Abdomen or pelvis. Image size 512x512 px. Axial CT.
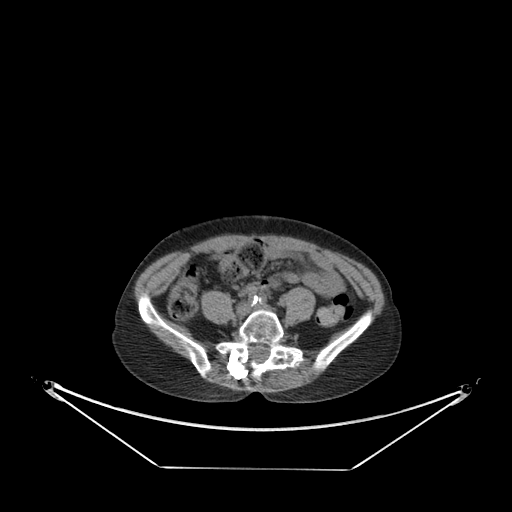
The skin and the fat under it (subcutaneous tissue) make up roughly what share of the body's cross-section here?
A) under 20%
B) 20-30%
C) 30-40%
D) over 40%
C) 30-40%
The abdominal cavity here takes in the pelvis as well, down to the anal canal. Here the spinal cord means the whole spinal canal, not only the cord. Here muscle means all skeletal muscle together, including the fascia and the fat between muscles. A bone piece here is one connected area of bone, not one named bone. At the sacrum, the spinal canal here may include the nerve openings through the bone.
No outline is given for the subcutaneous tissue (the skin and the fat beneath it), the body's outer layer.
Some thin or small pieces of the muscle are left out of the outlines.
Outlines:
torso: [[243,213],[275,214],[319,225],[347,238],[375,261],[390,284],[402,322],[401,347],[386,373],[355,392],[320,402],[271,402],[258,392],[237,402],[198,402],[162,393],[138,380],[123,367],[112,347],[110,334],[118,300],[139,262],[158,241],[180,227]]
spinal cord: [[254,348],[262,348],[263,349],[266,349],[267,350],[268,350],[268,354],[267,355],[267,357],[263,361],[262,361],[261,362],[257,362],[253,358],[251,358],[250,357],[250,350],[251,349],[253,349]]
muscle 1: [[253,233],[284,235],[306,240],[346,255],[366,266],[376,276],[384,295],[382,312],[369,327],[373,321],[372,310],[366,309],[366,301],[335,263],[319,253],[280,247],[259,238],[240,246],[222,247],[194,254],[181,266],[165,290],[156,296],[153,302],[157,310],[168,320],[187,328],[196,339],[218,342],[214,348],[220,354],[227,354],[229,358],[245,364],[250,375],[258,381],[268,371],[297,368],[304,360],[303,351],[298,347],[322,347],[312,363],[312,368],[322,373],[303,386],[278,392],[265,392],[256,388],[238,391],[207,382],[203,379],[212,370],[207,350],[168,324],[155,308],[147,292],[140,294],[136,307],[136,280],[160,257],[177,250],[185,250],[214,236]]
muscle 2: [[296,287],[303,287],[309,290],[313,294],[315,298],[315,305],[314,306],[313,312],[311,314],[310,317],[307,320],[304,320],[303,321],[298,322],[294,325],[288,325],[285,321],[286,307],[284,304],[284,300],[282,298],[282,296],[291,289]]
muscle 3: [[210,290],[215,290],[220,292],[228,293],[232,300],[232,303],[231,305],[232,306],[232,311],[233,312],[233,318],[230,319],[226,324],[218,324],[217,323],[215,323],[206,318],[202,312],[202,309],[201,308],[201,297],[204,292],[206,291],[209,291]]
muscle 4: [[144,323],[148,325],[153,325],[158,328],[159,327],[160,328],[162,328],[177,338],[179,340],[179,344],[185,351],[188,357],[188,359],[191,364],[185,358],[176,352],[173,351],[170,347],[167,346],[160,340],[159,340],[156,337],[156,336],[149,330]]
muscle 5: [[349,326],[350,326],[341,334],[340,334],[337,337],[336,337],[331,341],[328,342],[324,346],[323,346],[328,341],[330,336],[331,336],[334,333],[335,333],[336,332],[338,332],[339,331],[340,331],[341,330],[342,330],[343,329],[344,329]]
abdominal cavity: [[255,239],[280,248],[324,256],[335,264],[365,301],[365,310],[351,325],[330,335],[320,347],[288,344],[278,315],[265,308],[253,310],[238,327],[238,334],[233,340],[196,338],[187,327],[160,312],[154,300],[166,290],[182,266],[194,255],[240,247]], around a hole outlined by [[296,287],[303,287],[309,290],[313,294],[315,298],[315,305],[314,306],[313,312],[311,314],[310,317],[307,320],[304,320],[303,321],[298,322],[294,325],[288,325],[285,321],[286,307],[284,304],[284,300],[282,298],[282,296],[291,289]]
bones 1: [[258,309],[274,312],[283,328],[285,342],[290,346],[299,348],[303,354],[303,360],[297,367],[268,370],[261,375],[260,380],[251,375],[245,363],[229,357],[227,353],[220,353],[215,348],[219,342],[233,341],[238,336],[238,330],[242,323],[253,311]]; inner edge: [[254,348],[262,348],[263,349],[266,349],[267,350],[268,350],[268,354],[267,355],[267,357],[263,361],[262,361],[261,362],[257,362],[253,358],[251,358],[250,357],[250,350],[251,349],[253,349]]
bones 2: [[143,293],[148,294],[154,308],[168,325],[194,340],[206,350],[208,359],[211,364],[211,370],[206,374],[205,378],[201,377],[198,373],[190,361],[186,351],[180,344],[180,340],[177,337],[162,327],[148,324],[142,320],[138,312],[137,304],[139,297]]
bones 3: [[367,309],[370,309],[372,312],[372,321],[368,327],[353,342],[349,344],[344,349],[343,349],[334,358],[334,359],[328,365],[324,371],[322,372],[319,372],[315,370],[313,368],[313,363],[318,352],[328,343],[331,342],[341,335],[345,331],[346,331]]